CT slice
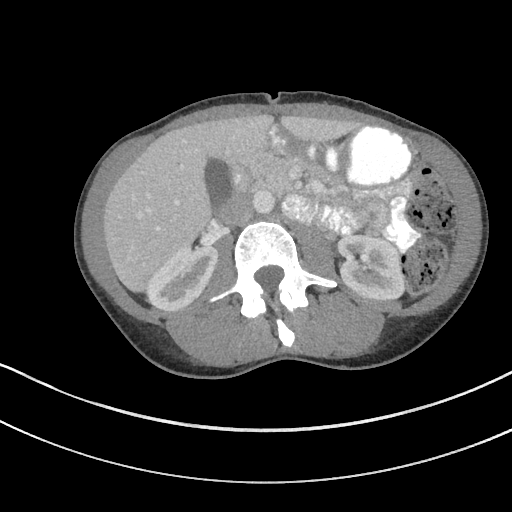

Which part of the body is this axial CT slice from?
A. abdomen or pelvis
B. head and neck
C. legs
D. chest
A. abdomen or pelvis
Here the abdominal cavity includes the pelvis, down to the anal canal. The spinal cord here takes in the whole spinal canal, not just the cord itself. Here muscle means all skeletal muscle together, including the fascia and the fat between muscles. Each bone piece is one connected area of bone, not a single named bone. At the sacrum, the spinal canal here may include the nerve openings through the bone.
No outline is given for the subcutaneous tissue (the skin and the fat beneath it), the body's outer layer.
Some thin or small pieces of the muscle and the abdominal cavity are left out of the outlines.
{"torso":[[[198,379],[234,377],[280,360],[368,369],[396,361],[430,339],[465,301],[488,245],[485,195],[461,152],[439,133],[394,112],[320,90],[280,90],[274,97],[265,91],[207,97],[111,144],[91,169],[76,205],[77,265],[102,309],[138,353],[167,372]]],"bones":[{"outer":[[288,347],[294,333],[280,317],[279,306],[291,312],[304,307],[309,285],[332,288],[337,283],[301,267],[296,243],[285,227],[257,221],[248,224],[235,242],[236,281],[208,301],[238,292],[241,313],[252,318],[266,312],[268,298],[277,315],[278,336]],"hole":[[264,296],[265,295],[270,295],[275,291],[276,291],[277,289],[277,285],[280,281],[280,280],[283,277],[283,270],[280,267],[278,266],[275,266],[274,265],[265,266],[264,267],[260,268],[254,274],[254,278],[262,286],[266,293],[266,294],[264,295]]}],"muscle":[{"outer":[[219,367],[235,366],[258,360],[274,354],[287,352],[306,353],[333,358],[345,358],[358,354],[363,354],[373,348],[378,340],[378,337],[381,334],[383,325],[388,321],[398,316],[426,313],[444,301],[468,277],[474,267],[480,249],[481,233],[482,232],[481,209],[478,194],[471,177],[457,156],[441,141],[426,133],[402,127],[378,116],[364,113],[346,106],[337,104],[315,104],[313,102],[272,103],[271,104],[231,103],[230,104],[214,105],[179,116],[165,125],[151,132],[133,137],[118,145],[108,155],[99,167],[88,190],[83,206],[81,216],[81,244],[83,255],[88,269],[96,282],[135,318],[141,321],[160,325],[171,334],[184,351],[198,362],[208,366],[218,366]],"hole":[[288,347],[294,333],[279,306],[291,312],[308,304],[309,285],[337,284],[301,267],[295,232],[307,225],[319,229],[332,248],[336,273],[359,295],[418,297],[447,269],[457,233],[458,209],[447,177],[413,140],[346,118],[264,112],[207,119],[158,136],[124,168],[104,202],[102,233],[120,283],[142,304],[180,309],[203,293],[220,239],[231,235],[236,281],[208,301],[238,292],[241,313],[252,318],[266,312],[268,298]]}],"abdominal_cavity":[[[165,311],[199,297],[220,239],[231,235],[234,244],[257,220],[278,222],[293,236],[302,226],[319,229],[336,273],[363,297],[418,297],[447,269],[455,241],[449,181],[413,140],[359,120],[264,112],[169,130],[124,168],[102,212],[120,283],[140,303]]],"spinal_cord":[[[264,296],[265,295],[270,295],[275,291],[276,291],[277,289],[277,285],[280,281],[280,280],[283,277],[283,270],[280,267],[278,266],[275,266],[274,265],[265,266],[264,267],[260,268],[254,274],[254,278],[262,286],[266,293],[266,294],[264,295]]]}